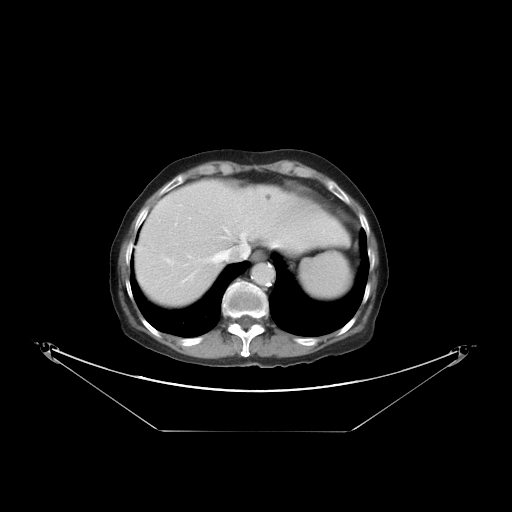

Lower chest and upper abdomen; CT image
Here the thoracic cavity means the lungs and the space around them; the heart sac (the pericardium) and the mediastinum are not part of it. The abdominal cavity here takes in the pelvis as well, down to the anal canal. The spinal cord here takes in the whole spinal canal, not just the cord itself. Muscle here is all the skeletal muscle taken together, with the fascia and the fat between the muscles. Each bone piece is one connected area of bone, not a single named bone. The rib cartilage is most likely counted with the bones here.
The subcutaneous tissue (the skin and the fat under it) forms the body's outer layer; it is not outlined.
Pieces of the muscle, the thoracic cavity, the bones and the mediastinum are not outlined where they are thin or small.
{"spinal_cord":[[[244,315],[247,315],[248,316],[250,316],[252,318],[253,318],[255,320],[255,322],[253,324],[252,324],[248,328],[247,328],[246,329],[245,329],[244,328],[243,328],[237,322],[237,319],[238,319],[240,317],[241,317],[242,316],[243,316]]],"bones":[{"outer":[[237,279],[242,279],[254,284],[268,297],[269,315],[267,317],[263,317],[259,321],[263,326],[264,331],[251,339],[249,343],[249,355],[246,357],[242,356],[240,353],[243,346],[241,338],[227,330],[230,319],[223,316],[221,313],[221,303],[225,290]],"hole":[[244,315],[247,315],[248,316],[250,316],[252,318],[253,318],[255,320],[255,322],[253,324],[252,324],[248,328],[247,328],[246,329],[245,329],[244,328],[243,328],[237,322],[237,319],[238,319],[240,317],[241,317],[242,316],[243,316]]},[[323,179],[331,179],[332,180],[333,180],[335,182],[336,182],[336,183],[346,193],[346,194],[350,201],[350,204],[349,205],[346,204],[338,197],[337,197],[334,194],[333,194],[330,191],[329,191],[324,186],[324,185],[322,183],[322,182],[321,181]],[[284,163],[291,163],[294,166],[299,166],[300,167],[304,167],[305,168],[307,168],[313,172],[314,176],[311,178],[309,177],[301,177],[300,176],[297,176],[295,175],[292,171],[289,171],[287,173],[283,173],[282,172],[282,168],[281,166],[282,164]],[[221,164],[227,164],[231,166],[233,170],[233,172],[232,173],[230,173],[229,174],[224,174],[218,169],[215,173],[211,173],[210,174],[206,174],[205,173],[203,173],[202,174],[199,172],[199,169],[203,166],[205,166],[206,165],[213,165],[218,168]],[[178,174],[186,174],[187,175],[188,175],[188,177],[182,183],[177,185],[175,187],[174,187],[173,188],[166,191],[165,192],[165,193],[160,195],[159,194],[159,193],[160,192],[160,191],[162,189],[162,188],[172,178],[173,178],[176,175],[177,175]],[[296,336],[299,336],[300,337],[317,337],[318,338],[318,342],[316,344],[315,344],[314,345],[303,345],[302,344],[300,344],[299,343],[298,343],[297,342],[296,342],[295,341],[294,341],[294,340],[293,339],[293,338],[294,337],[295,337]],[[201,335],[203,335],[203,339],[199,343],[197,343],[196,344],[194,344],[193,345],[190,345],[189,346],[183,346],[182,345],[181,345],[179,343],[179,338],[180,337],[181,338],[192,338],[193,337],[197,337],[198,336],[200,336]],[[146,206],[147,206],[149,208],[149,209],[147,212],[147,214],[146,215],[145,218],[143,220],[141,225],[139,227],[139,228],[136,232],[135,231],[135,225],[136,224],[136,221],[137,220],[138,215],[139,214],[140,211],[144,207],[145,207]],[[359,212],[361,212],[362,213],[363,213],[365,215],[365,216],[367,219],[367,221],[368,222],[368,224],[369,225],[369,235],[367,237],[365,231],[362,228],[362,227],[360,225],[360,222],[359,221],[359,218],[358,217],[358,213]],[[142,316],[153,327],[154,327],[157,330],[158,330],[160,332],[160,333],[161,334],[161,336],[160,337],[157,337],[155,335],[154,335],[142,323],[142,322],[141,321],[141,317]],[[130,241],[132,241],[133,242],[133,244],[134,245],[133,246],[133,248],[132,249],[132,253],[131,254],[131,258],[130,259],[129,266],[128,265],[127,265],[127,264],[126,263],[126,259],[125,258],[125,254],[126,253],[126,249],[127,248],[127,246]],[[354,316],[355,316],[355,321],[354,322],[354,323],[346,331],[345,331],[343,333],[342,333],[341,334],[340,334],[339,335],[337,335],[337,331],[340,328],[341,328],[347,322],[348,322]],[[367,247],[370,247],[372,249],[372,250],[373,251],[373,252],[374,253],[374,265],[373,266],[373,268],[372,269],[372,270],[369,270],[369,266],[370,265],[370,262],[369,261],[369,258],[368,257],[368,254],[367,253]],[[367,282],[369,282],[370,284],[370,289],[369,290],[369,295],[365,303],[362,304],[361,302],[362,301],[362,299],[364,295],[364,292],[365,291],[365,287],[366,286],[366,284]]],"abdominal_cavity":[[[255,168],[281,173],[358,220],[361,261],[351,290],[336,301],[314,301],[298,288],[277,253],[256,248],[245,259],[226,265],[204,295],[187,307],[164,309],[148,301],[136,281],[132,254],[136,234],[150,208],[160,196],[187,179],[203,174],[229,175]]],"torso":[[[218,148],[258,151],[296,148],[311,151],[341,169],[365,196],[383,234],[389,279],[373,337],[363,347],[311,364],[300,363],[287,368],[262,369],[255,365],[204,367],[155,353],[122,332],[111,302],[108,279],[110,247],[126,210],[166,165],[194,153]]],"thoracic_cavity":[[[361,229],[366,236],[366,253],[369,265],[363,295],[354,315],[338,329],[318,336],[300,336],[280,328],[271,318],[269,308],[268,296],[276,281],[272,254],[277,254],[283,260],[295,285],[307,298],[324,304],[336,302],[345,297],[355,284],[362,261]],[[132,258],[133,274],[139,290],[148,302],[164,310],[181,310],[197,302],[212,287],[222,271],[229,264],[245,260],[247,267],[233,279],[224,290],[220,303],[221,315],[215,326],[197,336],[181,337],[160,331],[143,316],[134,299],[130,283],[130,263]]],"muscle":[[[165,183],[151,207],[146,205],[144,206],[139,211],[135,224],[134,225],[136,233],[134,240],[130,240],[126,246],[124,258],[130,270],[129,278],[124,281],[127,295],[134,300],[141,313],[141,323],[154,336],[160,338],[161,332],[177,336],[178,343],[183,347],[199,344],[204,339],[204,334],[216,326],[221,316],[228,318],[226,330],[240,338],[241,356],[209,359],[180,353],[133,327],[122,309],[118,295],[118,258],[122,242],[133,219],[145,201]],[[370,225],[378,249],[378,282],[373,307],[364,329],[317,351],[304,355],[279,358],[274,356],[249,356],[252,339],[265,331],[260,321],[269,316],[280,329],[295,335],[292,338],[293,341],[303,346],[314,346],[319,342],[319,336],[336,330],[336,335],[339,336],[355,323],[355,314],[360,304],[365,304],[369,298],[371,284],[368,281],[368,276],[369,271],[372,271],[375,265],[375,253],[367,244],[367,238],[370,235]],[[282,159],[299,161],[328,176],[330,178],[323,178],[320,181],[321,183],[312,178],[315,176],[315,174],[311,169],[304,166],[294,165],[291,162],[282,163],[280,166],[281,172],[273,171],[265,167],[255,167],[234,172],[231,165],[227,163],[221,163],[218,167],[213,164],[203,165],[198,169],[198,172],[201,174],[189,178],[188,178],[189,177],[188,174],[179,173],[201,163],[211,160],[229,160],[240,164],[266,164]],[[347,193],[348,194],[349,194],[356,201],[357,201],[359,203],[359,204],[363,208],[365,214],[363,212],[362,212],[361,211],[359,211],[357,213],[357,217],[355,215],[355,214],[352,211],[352,210],[349,206],[351,204],[351,201],[350,200]]],"mediastinum":[[[256,249],[264,249],[267,250],[268,252],[271,252],[272,253],[271,255],[272,256],[272,262],[275,270],[275,281],[273,285],[273,288],[268,295],[259,286],[250,281],[242,278],[235,279],[247,269],[248,262],[246,259]],[[281,174],[286,174],[287,175],[296,176],[301,178],[309,178],[319,182],[322,184],[329,192],[347,205],[356,217],[349,213],[343,208],[335,204],[332,201],[315,190],[308,187],[306,185],[296,180],[291,179],[289,177],[283,176],[281,175]]]}